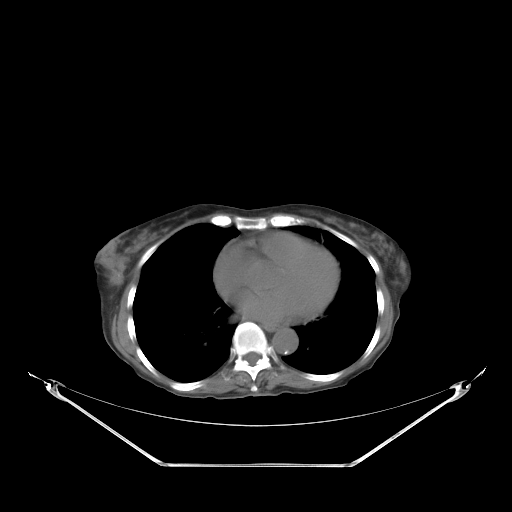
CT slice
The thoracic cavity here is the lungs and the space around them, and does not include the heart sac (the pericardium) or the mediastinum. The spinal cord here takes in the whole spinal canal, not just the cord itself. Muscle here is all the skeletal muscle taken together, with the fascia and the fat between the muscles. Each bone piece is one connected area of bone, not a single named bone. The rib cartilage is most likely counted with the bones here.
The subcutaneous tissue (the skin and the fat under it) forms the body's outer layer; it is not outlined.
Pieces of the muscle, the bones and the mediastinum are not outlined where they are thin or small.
The muscle appears in 5 outlined pieces: piece 1: (374, 256) (380, 263) (389, 289) (393, 307) (393, 318) (388, 338) (363, 366) (339, 380) (317, 387) (296, 388) (277, 385) (271, 389) (257, 391) (258, 387) (252, 383) (249, 387) (250, 391) (226, 393) (187, 392) (202, 387) (208, 380) (205, 378) (216, 372) (226, 363) (227, 366) (232, 364) (230, 368) (232, 372) (244, 371) (250, 376) (252, 381) (256, 379) (261, 370) (271, 369) (273, 363) (283, 369) (285, 365) (282, 362) (302, 371) (300, 374) (301, 376) (307, 380) (331, 382) (340, 377) (344, 373) (343, 369) (358, 358) (365, 359) (371, 353) (380, 338) (381, 328) (376, 325) (376, 322) (377, 316) (381, 316) (384, 313) (385, 305) (383, 291) (380, 287) (376, 288) (375, 285) (376, 275) (379, 274) (380, 267); piece 2: (136, 263) (136, 267) (140, 269) (138, 283) (130, 286) (126, 297) (126, 307) (132, 308) (132, 314) (126, 319) (127, 333) (132, 342) (137, 341) (135, 352) (143, 365) (155, 377) (161, 373) (171, 379) (169, 387) (136, 367) (115, 346) (111, 337) (111, 320) (116, 305); piece 3: (215, 212) (224, 212) (225, 213) (231, 213) (237, 215) (231, 216) (225, 213) (218, 213) (213, 215) (209, 219) (209, 222) (199, 222) (198, 223) (194, 223) (185, 226) (176, 231) (164, 240) (159, 240) (155, 242) (172, 229) (185, 221) (187, 221) (196, 217) (201, 217); piece 4: (269, 213) (286, 213) (287, 214) (296, 214) (300, 216) (313, 217) (321, 221) (326, 222) (331, 226) (325, 225) (322, 228) (319, 228) (315, 226) (306, 225) (305, 224) (307, 221) (305, 218) (300, 216) (295, 216) (291, 214) (282, 214) (274, 213) (268, 217) (260, 216) (264, 216); piece 5: (344, 233) (345, 233) (346, 234) (347, 234) (348, 235) (353, 237) (360, 244) (361, 244) (367, 250) (368, 250) (372, 254) (371, 254) (370, 253) (368, 253) (365, 256) (363, 254) (362, 254) (358, 250) (359, 245) (351, 237) (350, 237) (348, 235) (347, 235). The spinal cord is outlined by (249, 352) (255, 352) (256, 353) (257, 353) (260, 355) (260, 357) (255, 362) (255, 363) (252, 365) (251, 364) (250, 364) (248, 362) (248, 361) (247, 360) (246, 360) (245, 359) (244, 359) (244, 355) (245, 355) (247, 353) (248, 353). The mediastinum appears in 2 outlined pieces: piece 1: (237, 315) (238, 316) (240, 316) (243, 318) (245, 318) (246, 319) (248, 319) (252, 321) (255, 321) (263, 323) (266, 325) (279, 327) (290, 327) (291, 326) (298, 326) (296, 326) (295, 327) (294, 328) (299, 338) (299, 343) (297, 349) (293, 353) (288, 355) (284, 355) (280, 359) (276, 353) (274, 347) (268, 342) (266, 335) (262, 328) (257, 323) (251, 321) (250, 320) (249, 320) (246, 320) (238, 323); piece 2: (269, 227) (286, 227) (293, 231) (298, 232) (294, 232) (289, 230) (283, 230) (282, 229) (266, 229) (265, 230) (259, 230) (258, 231) (243, 234) (238, 237) (235, 237) (228, 241) (223, 246) (230, 238) (232, 238) (238, 234) (238, 230) (242, 230) (243, 229) (245, 230) (264, 230) (265, 229). The torso is outlined by (197, 203) (248, 209) (288, 203) (321, 205) (364, 219) (395, 239) (410, 259) (413, 277) (409, 289) (400, 301) (400, 315) (392, 340) (372, 367) (337, 388) (306, 394) (282, 393) (275, 396) (232, 399) (178, 396) (134, 373) (104, 339) (93, 259) (107, 240) (125, 229). The thoracic cavity appears in 2 outlined pieces: piece 1: (199, 223) (210, 223) (219, 227) (234, 226) (237, 229) (237, 234) (222, 245) (212, 264) (212, 282) (215, 291) (236, 315) (237, 324) (231, 337) (227, 361) (204, 378) (182, 382) (160, 372) (143, 352) (137, 340) (133, 304) (141, 268) (147, 260) (170, 236) (185, 227); piece 2: (303, 225) (326, 230) (357, 249) (366, 258) (375, 274) (377, 315) (371, 338) (359, 357) (347, 366) (329, 373) (303, 371) (281, 360) (284, 356) (291, 355) (298, 349) (300, 338) (295, 328) (314, 322) (326, 314) (337, 295) (342, 279) (339, 260) (323, 242) (287, 227). The pericardium is outlined by (266, 230) (289, 231) (315, 239) (323, 243) (338, 260) (341, 270) (339, 287) (333, 301) (328, 306) (325, 314) (322, 317) (314, 321) (299, 325) (279, 326) (266, 324) (236, 314) (230, 307) (224, 303) (217, 293) (213, 282) (213, 266) (216, 257) (222, 248) (235, 238). The bones appear in 12 outlined pieces: piece 1: (246, 321) (253, 322) (261, 328) (267, 342) (273, 347) (281, 363) (284, 365) (283, 368) (273, 362) (271, 368) (261, 369) (257, 373) (255, 379) (252, 380) (251, 376) (246, 371) (239, 370) (234, 372) (231, 370) (233, 364) (231, 362) (227, 365) (235, 328) (238, 324); inner edge: (249, 352) (255, 352) (256, 353) (257, 353) (260, 355) (260, 357) (255, 362) (255, 363) (252, 365) (251, 364) (250, 364) (248, 362) (248, 361) (247, 360) (246, 360) (245, 359) (244, 359) (244, 355) (245, 355) (247, 353) (248, 353); piece 2: (218, 214) (225, 214) (231, 217) (238, 215) (243, 217) (253, 218) (254, 217) (268, 218) (274, 214) (281, 214) (300, 217) (305, 219) (306, 221) (302, 225) (269, 226) (264, 229) (245, 229) (244, 228) (238, 229) (234, 225) (219, 226) (211, 223) (210, 219) (213, 216); piece 3: (342, 369) (343, 370) (343, 373) (336, 379) (334, 380) (332, 380) (331, 381) (315, 381) (314, 380) (310, 380) (309, 379) (307, 379) (303, 377) (301, 374) (303, 372) (307, 372) (308, 373) (313, 373) (314, 374) (329, 374) (330, 373) (333, 373) (334, 372) (339, 371); piece 4: (202, 379) (207, 379) (205, 383) (202, 386) (198, 387) (197, 388) (195, 388) (194, 389) (192, 389) (189, 391) (178, 391) (177, 390) (173, 389) (171, 387) (170, 387) (169, 385) (170, 381) (176, 381) (177, 382) (186, 383) (187, 382) (194, 382) (195, 381) (198, 381); piece 5: (376, 326) (378, 326) (380, 328) (380, 332) (379, 333) (379, 338) (376, 344) (374, 346) (374, 347) (372, 349) (370, 353) (365, 358) (363, 359) (361, 358) (361, 356) (366, 349) (367, 346) (369, 344) (372, 338) (372, 336) (374, 333) (374, 331) (375, 330) (375, 328); piece 6: (137, 346) (139, 346) (139, 347) (141, 349) (142, 352) (144, 354) (144, 355) (147, 358) (147, 359) (150, 362) (150, 363) (158, 371) (158, 372) (159, 373) (158, 376) (155, 376) (144, 365) (144, 364) (141, 361) (141, 360) (137, 355) (137, 353) (136, 352) (136, 347); piece 7: (325, 226) (328, 226) (329, 227) (331, 227) (343, 233) (345, 235) (348, 236) (350, 238) (351, 238) (358, 245) (358, 247) (356, 248) (354, 246) (351, 245) (349, 243) (337, 237) (328, 230) (326, 229) (323, 229) (323, 228); piece 8: (159, 241) (163, 241) (157, 247) (157, 248) (153, 252) (153, 253) (146, 260) (146, 261) (142, 265) (142, 266) (140, 268) (138, 268) (137, 267) (137, 263) (138, 262) (139, 259) (141, 257) (141, 256) (148, 248) (149, 248) (152, 245) (153, 245) (155, 243) (156, 243); piece 9: (377, 288) (380, 288) (381, 289) (381, 290) (382, 291) (382, 293) (383, 294) (383, 298) (384, 299) (384, 305) (383, 306) (383, 313) (381, 315) (378, 315) (378, 309) (377, 308) (377, 299) (376, 298) (376, 289); piece 10: (129, 315) (132, 315) (132, 317) (133, 318) (133, 322) (134, 323) (134, 327) (135, 328) (135, 335) (136, 336) (136, 340) (135, 341) (132, 341) (131, 340) (131, 339) (129, 336) (129, 334) (128, 333) (128, 330) (127, 329) (127, 319) (128, 318) (128, 316); piece 11: (134, 284) (135, 285) (136, 285) (136, 290) (135, 291) (135, 295) (134, 296) (134, 298) (133, 299) (133, 303) (132, 304) (132, 307) (131, 307) (130, 308) (128, 308) (127, 307) (127, 297) (128, 296) (128, 292) (129, 291) (129, 290) (130, 289) (131, 286); piece 12: (368, 254) (370, 254) (371, 255) (372, 255) (373, 256) (373, 257) (375, 259) (375, 260) (376, 261) (376, 262) (379, 267) (379, 272) (378, 273) (378, 274) (376, 274) (375, 273) (375, 272) (374, 271) (372, 266) (368, 261) (368, 260) (366, 257) (366, 256).